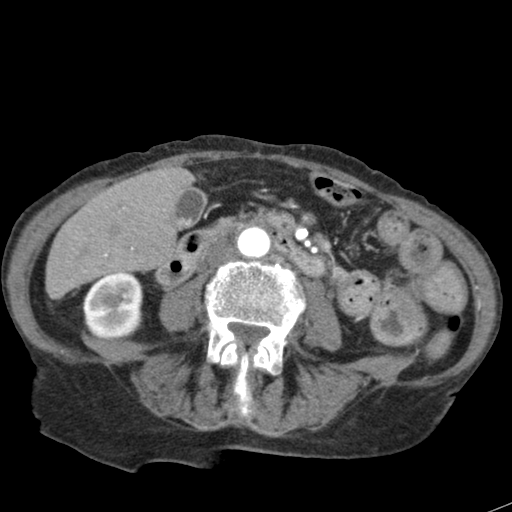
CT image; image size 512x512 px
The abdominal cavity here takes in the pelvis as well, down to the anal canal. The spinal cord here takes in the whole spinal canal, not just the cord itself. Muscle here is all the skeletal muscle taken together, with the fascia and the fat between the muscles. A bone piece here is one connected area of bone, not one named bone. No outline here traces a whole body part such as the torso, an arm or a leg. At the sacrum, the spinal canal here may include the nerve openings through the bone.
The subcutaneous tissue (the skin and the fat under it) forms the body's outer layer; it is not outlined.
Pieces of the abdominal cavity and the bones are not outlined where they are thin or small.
{"spinal_cord":[[[231,322],[240,323],[241,324],[247,325],[248,326],[258,326],[259,327],[265,327],[267,328],[269,331],[268,333],[265,336],[262,337],[255,345],[247,346],[244,344],[242,340],[238,339],[236,337],[234,333],[230,329],[229,329],[228,325],[229,323]]],"abdominal_cavity":[[[237,158],[325,172],[438,238],[470,286],[471,331],[457,361],[404,380],[414,354],[328,359],[342,339],[322,288],[260,260],[230,259],[208,280],[166,292],[158,313],[170,339],[118,341],[83,328],[82,351],[50,335],[30,285],[62,222],[149,170]]],"bones":[{"outer":[[230,260],[260,261],[290,268],[302,284],[306,299],[304,311],[286,337],[288,342],[283,349],[281,373],[272,375],[262,368],[249,369],[247,380],[253,400],[251,412],[245,417],[234,409],[237,396],[232,386],[236,368],[206,361],[205,285],[217,268]],"hole":[[231,322],[240,323],[241,324],[247,325],[248,326],[258,326],[259,327],[265,327],[267,328],[269,331],[268,333],[265,336],[262,337],[255,345],[247,346],[244,344],[242,340],[238,339],[236,337],[234,333],[230,329],[229,329],[228,325],[229,323]]}],"muscle":[{"outer":[[212,149],[214,150],[246,151],[247,152],[258,151],[269,154],[282,154],[325,164],[349,173],[383,192],[402,196],[416,201],[425,207],[433,210],[453,223],[464,233],[483,255],[492,275],[494,283],[494,289],[496,296],[496,315],[494,321],[494,326],[490,334],[488,342],[480,356],[468,369],[464,370],[458,375],[452,377],[445,383],[439,386],[427,389],[416,389],[415,390],[406,390],[394,387],[379,389],[367,394],[358,403],[346,410],[339,418],[332,421],[326,427],[324,427],[320,430],[314,432],[310,431],[307,433],[293,437],[268,437],[257,433],[246,427],[241,428],[234,426],[227,426],[211,431],[195,431],[182,428],[157,417],[151,413],[139,402],[134,400],[122,385],[107,371],[91,372],[84,371],[74,367],[70,367],[54,359],[49,354],[38,349],[31,344],[23,334],[13,316],[10,304],[9,293],[6,285],[7,272],[9,268],[11,254],[18,237],[27,222],[39,210],[58,195],[81,182],[88,181],[92,178],[96,177],[115,175],[154,162],[165,157],[183,153],[186,150],[211,150]],"hole":[[237,158],[325,172],[438,238],[470,286],[457,361],[404,380],[414,354],[328,359],[340,324],[302,278],[282,371],[249,369],[245,417],[236,368],[206,361],[205,275],[162,296],[170,339],[83,328],[82,351],[50,335],[30,285],[62,222],[149,170]]}]}